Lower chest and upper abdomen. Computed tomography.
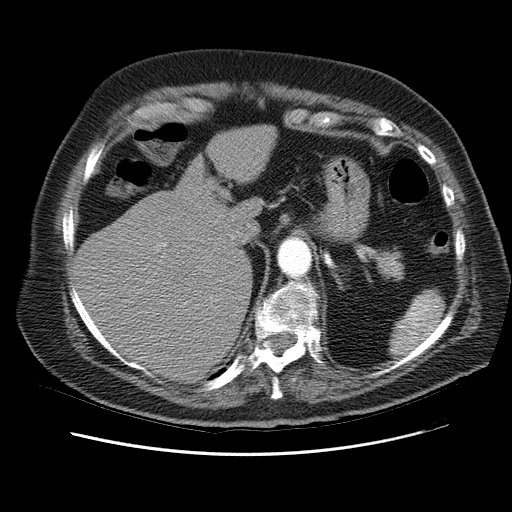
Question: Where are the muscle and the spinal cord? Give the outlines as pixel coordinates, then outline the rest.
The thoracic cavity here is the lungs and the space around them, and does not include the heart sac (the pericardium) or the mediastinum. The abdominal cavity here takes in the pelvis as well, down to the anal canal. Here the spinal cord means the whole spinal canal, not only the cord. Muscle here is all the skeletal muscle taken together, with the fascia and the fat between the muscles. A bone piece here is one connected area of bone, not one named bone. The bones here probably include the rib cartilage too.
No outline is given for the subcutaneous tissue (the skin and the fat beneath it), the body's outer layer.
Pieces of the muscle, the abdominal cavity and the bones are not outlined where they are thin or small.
Answer: muscle: 245 80; 252 83; 260 81; 271 81; 282 85; 287 85; 289 87; 298 87; 302 89; 304 88; 319 93; 329 93; 342 98; 346 97; 361 101; 389 113; 397 123; 403 122; 419 130; 432 139; 440 147; 445 154; 446 159; 466 198; 464 210; 471 229; 470 234; 472 237; 472 246; 474 253; 473 258; 476 266; 477 285; 482 306; 482 319; 479 328; 470 337; 464 338; 459 343; 447 347; 442 352; 422 363; 413 371; 398 378; 395 381; 349 398; 337 401; 322 401; 313 404; 309 404; 305 401; 264 401; 258 404; 255 400; 253 400; 245 405; 218 409; 191 408; 172 403; 160 396; 139 389; 131 383; 116 377; 102 368; 92 365; 74 350; 67 337; 63 319; 62 305; 60 303; 61 297; 58 292; 59 279; 57 270; 54 268; 57 265; 56 259; 54 257; 55 233; 53 227; 55 211; 72 167; 95 137; 98 134; 104 133; 106 131; 106 121; 112 112; 134 97; 141 95; 150 89; 162 86; 176 86; 214 81; 234 81; 238 83 with holes at 234 94; 262 108; 272 99; 289 103; 287 112; 295 108; 335 112; 341 116; 338 124; 368 130; 373 118; 386 117; 399 127; 402 138; 433 153; 436 162; 430 166; 439 185; 445 183; 454 194; 454 203; 447 209; 453 234; 458 228; 464 234; 465 250; 456 263; 457 287; 447 310; 454 311; 453 318; 422 353; 379 376; 367 377; 371 371; 323 365; 306 352; 277 374; 261 362; 218 388; 200 390; 202 381; 173 383; 124 364; 89 331; 69 294; 69 282; 75 285; 74 259; 65 248; 62 219; 71 206; 74 227; 78 224; 90 150; 104 143; 96 171; 106 152; 127 132; 127 117; 148 103; 177 103; 186 96; 213 104 and at 275 375; 276 375; 278 378; 278 383; 279 384; 279 387; 280 388; 280 389; 282 392; 282 396; 281 397; 280 397; 277 399; 272 399; 270 397; 270 396; 272 393; 272 378
spinal cord: 281 332; 288 332; 291 334; 295 334; 296 335; 296 341; 291 346; 285 348; 280 353; 280 354; 276 354; 275 353; 276 352; 276 350; 273 347; 274 345; 272 341; 269 338; 273 336; 275 334; 277 333; 280 333
thoracic cavity: 222 368; 225 368; 225 369; 221 373; 220 373; 218 375; 217 375; 216 376; 214 376; 213 377; 212 377; 211 378; 210 378; 210 377; 212 375; 213 375; 214 374; 215 374; 216 373; 216 372; 217 372; 220 369; 221 369
bones 1: 307 280; 319 295; 318 318; 313 324; 320 330; 319 343; 326 364; 306 352; 277 374; 261 362; 252 371; 245 369; 218 388; 200 390; 202 383; 221 374; 238 352; 251 351; 245 339; 248 336; 255 339; 255 313; 264 298; 289 281, around a hole outlined by 281 332; 288 332; 291 334; 295 334; 296 335; 296 341; 291 346; 285 348; 280 353; 280 354; 276 354; 275 353; 276 352; 276 350; 273 347; 274 345; 272 341; 269 338; 273 336; 275 334; 277 333; 280 333
bones 2: 186 96; 201 98; 210 102; 212 104; 211 109; 201 112; 190 111; 182 117; 151 117; 149 119; 141 121; 138 125; 132 127; 129 131; 127 131; 129 126; 127 117; 137 108; 148 103; 154 103; 157 101; 177 103; 183 97
bones 3: 69 282; 72 283; 75 287; 75 289; 77 291; 77 293; 91 319; 109 343; 124 358; 129 361; 133 361; 142 365; 147 370; 152 373; 153 377; 149 376; 142 370; 130 367; 124 364; 109 352; 93 336; 80 317; 71 300; 68 288
bones 4: 450 310; 453 310; 454 311; 453 318; 450 324; 441 336; 428 348; 425 349; 422 353; 407 362; 400 365; 398 367; 379 376; 376 377; 367 377; 366 376; 372 372; 386 368; 391 365; 395 361; 397 361; 406 356; 434 330; 446 313
bones 5: 296 108; 302 108; 305 109; 310 113; 318 112; 319 111; 335 112; 341 116; 341 119; 337 123; 332 125; 324 125; 323 126; 309 125; 306 121; 304 121; 302 123; 299 124; 288 125; 284 122; 284 114; 285 114; 286 112; 288 112
bones 6: 378 117; 386 117; 387 118; 390 119; 399 127; 399 128; 402 132; 402 135; 399 137; 391 137; 390 136; 382 136; 381 135; 377 135; 375 133; 374 133; 374 132; 373 131; 372 131; 372 130; 370 127; 370 121; 373 118; 377 118
bones 7: 71 206; 73 209; 73 219; 74 220; 74 227; 75 228; 75 233; 74 234; 74 237; 75 239; 74 240; 74 247; 73 248; 73 252; 70 254; 65 248; 65 245; 63 241; 62 219; 63 218; 63 214; 64 212; 67 211
bones 8: 99 142; 103 142; 104 143; 104 147; 103 148; 102 153; 95 165; 95 172; 88 180; 87 183; 86 184; 83 184; 84 169; 85 168; 85 165; 86 164; 86 160; 87 159; 88 154; 90 150; 92 148; 92 147; 95 144
bones 9: 458 228; 461 228; 461 229; 464 234; 464 238; 465 239; 465 250; 463 253; 463 256; 462 257; 462 259; 459 262; 457 262; 457 261; 456 260; 456 256; 455 255; 455 245; 454 244; 454 242; 455 241; 455 233
bones 10: 419 143; 420 143; 421 144; 422 144; 423 145; 426 146; 433 153; 433 154; 434 155; 434 156; 436 159; 436 162; 434 164; 432 164; 431 165; 430 165; 420 155; 420 154; 418 152; 418 151; 417 150; 417 144; 418 144
bones 11: 443 183; 445 183; 448 186; 449 186; 452 189; 452 190; 453 191; 453 193; 454 194; 454 203; 452 205; 451 205; 449 207; 447 207; 446 206; 446 204; 444 201; 444 198; 442 195; 442 188; 441 187; 442 186; 442 184
mediastinum 1: 289 234; 304 235; 309 240; 315 257; 316 271; 318 275; 319 285; 321 289; 321 296; 320 296; 313 283; 309 279; 307 279; 304 281; 289 280; 277 289; 266 295; 265 297; 263 297; 267 281; 268 256; 270 245; 280 235; 288 235
mediastinum 2: 345 123; 357 124; 360 126; 363 126; 368 130; 371 130; 377 136; 391 138; 400 137; 404 138; 413 142; 416 145; 416 149; 397 141; 390 141; 387 145; 384 145; 377 138; 354 128; 353 129; 327 129; 325 126; 332 126; 336 124
abdominal cavity: 234 94; 262 108; 289 103; 288 126; 403 144; 433 170; 451 217; 457 287; 406 355; 374 371; 326 360; 314 324; 316 257; 299 233; 270 243; 253 335; 203 381; 162 379; 92 319; 73 253; 80 200; 100 160; 141 122; 207 112
torso: 205 47; 296 52; 368 66; 404 82; 447 118; 482 185; 510 269; 502 324; 485 367; 425 397; 376 414; 258 431; 169 425; 115 411; 64 384; 38 361; 16 323; 13 300; 26 255; 32 209; 58 145; 92 90; 109 74; 151 55